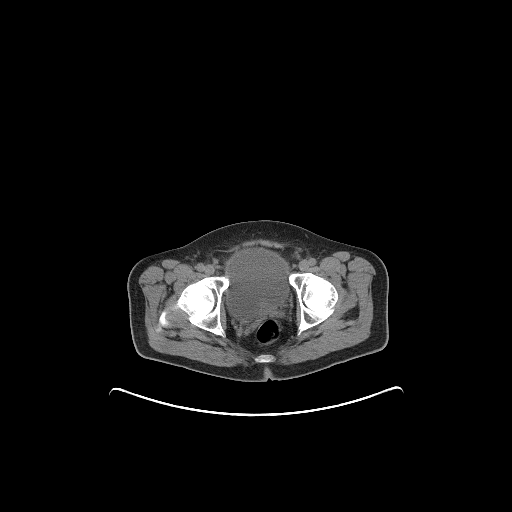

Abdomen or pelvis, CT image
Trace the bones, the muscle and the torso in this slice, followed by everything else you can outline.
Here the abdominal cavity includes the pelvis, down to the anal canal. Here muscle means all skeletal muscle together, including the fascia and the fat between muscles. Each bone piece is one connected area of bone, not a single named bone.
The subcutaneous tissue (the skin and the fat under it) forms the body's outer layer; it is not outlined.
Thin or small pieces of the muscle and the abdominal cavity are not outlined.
Outlines:
bones 1: 207 276; 226 276; 229 279; 229 285; 222 293; 221 302; 219 308; 220 322; 222 328; 225 331; 225 336; 217 335; 210 331; 202 329; 192 324; 188 319; 188 315; 184 311; 179 308; 172 308; 179 297; 182 290; 187 285
bones 2: 296 272; 300 272; 301 273; 303 272; 310 272; 327 279; 333 284; 338 294; 338 298; 335 303; 333 312; 323 321; 304 330; 299 335; 297 335; 297 328; 301 319; 301 309; 299 305; 299 302; 296 295; 295 289; 289 282; 289 275
bones 3: 260 354; 270 354; 271 355; 272 355; 274 357; 274 360; 272 362; 263 362; 262 363; 259 363; 258 362; 256 362; 254 360; 254 359; 257 356; 258 356
bones 4: 166 308; 167 309; 167 313; 166 314; 166 318; 168 320; 168 321; 169 322; 169 325; 167 327; 163 327; 162 326; 161 326; 160 327; 160 325; 159 324; 159 321; 158 320; 158 319; 159 318; 159 315; 160 314; 161 311
muscle: 257 238; 290 242; 317 254; 352 251; 370 262; 375 277; 369 337; 316 359; 286 365; 273 363; 275 357; 270 353; 260 353; 253 359; 258 363; 250 366; 226 367; 153 349; 144 323; 141 273; 159 260; 197 262; 211 250 with holes at 250 246; 288 251; 293 273; 310 272; 323 277; 333 284; 338 294; 334 310; 327 318; 299 335; 296 331; 292 333; 274 351; 247 349; 226 333; 225 336; 217 335; 192 324; 184 311; 172 308; 187 285; 207 276; 226 275; 224 254 and at 166 308; 167 309; 167 313; 166 314; 166 318; 168 320; 168 321; 169 322; 169 325; 167 327; 163 327; 162 326; 161 326; 160 327; 160 325; 159 324; 159 321; 158 320; 158 319; 159 318; 159 315; 160 314; 161 311
torso: 250 220; 288 222; 329 239; 363 247; 377 254; 383 261; 389 278; 387 304; 389 337; 386 346; 377 352; 301 377; 286 380; 269 379; 265 382; 225 379; 140 356; 132 341; 127 293; 127 279; 133 265; 145 256; 180 247; 216 228
abdominal cavity: 250 246; 288 251; 290 254; 292 273; 288 275; 288 282; 294 289; 297 299; 295 305; 297 327; 296 331; 289 335; 283 344; 274 351; 252 351; 233 341; 226 333; 227 317; 224 292; 230 285; 230 279; 224 271; 223 256; 226 253